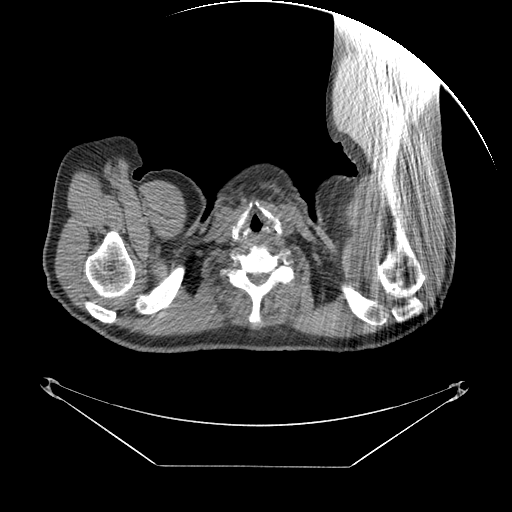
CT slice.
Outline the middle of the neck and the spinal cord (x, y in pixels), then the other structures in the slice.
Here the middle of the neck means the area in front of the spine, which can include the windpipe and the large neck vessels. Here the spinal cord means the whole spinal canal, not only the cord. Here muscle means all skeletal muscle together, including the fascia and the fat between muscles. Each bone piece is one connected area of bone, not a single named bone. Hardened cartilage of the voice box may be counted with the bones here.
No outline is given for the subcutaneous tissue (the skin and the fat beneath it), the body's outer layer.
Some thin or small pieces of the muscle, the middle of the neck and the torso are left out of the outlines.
The middle of the neck is outlined by 254 205; 256 206; 264 216; 273 222; 273 228; 276 233; 279 236; 282 234; 282 237; 283 238; 280 241; 275 243; 266 243; 265 244; 263 243; 260 244; 238 243; 235 241; 233 241; 236 241; 238 239; 240 229; 251 208. The spinal cord is outlined by 250 273; 251 274; 257 274; 258 273; 268 273; 269 274; 269 275; 268 276; 268 277; 267 278; 267 279; 263 283; 262 283; 261 284; 255 284; 254 283; 253 283; 249 279; 249 278; 248 277; 248 274; 249 274. The bones appear in 6 outlined pieces: piece 1: 394 179; 399 220; 426 275; 415 293; 423 309; 406 321; 399 323; 392 316; 386 323; 373 327; 351 311; 340 283; 345 282; 363 296; 388 307; 394 303; 385 293; 379 274; 379 264; 393 246; 393 218; 385 206; 385 194; piece 2: 252 244; 263 244; 272 254; 290 250; 287 259; 292 261; 290 265; 294 272; 293 279; 287 283; 279 282; 263 296; 259 325; 254 325; 248 319; 252 307; 249 295; 231 285; 226 275; 220 274; 222 268; 232 266; 232 251; 245 253 with a hole at 250 273; 251 274; 257 274; 258 273; 268 273; 269 274; 269 275; 268 276; 268 277; 267 278; 267 279; 263 283; 262 283; 261 284; 255 284; 254 283; 253 283; 249 279; 249 278; 248 277; 248 274; 249 274; piece 3: 110 230; 116 230; 121 236; 124 242; 125 248; 129 256; 132 259; 136 270; 135 279; 132 286; 123 296; 121 297; 116 297; 115 298; 106 298; 99 295; 88 281; 88 279; 84 272; 84 265; 87 257; 96 250; 101 243; 106 233; piece 4: 180 263; 185 266; 185 273; 181 284; 178 289; 178 291; 169 306; 163 308; 155 313; 152 313; 151 314; 139 314; 137 313; 133 307; 137 295; 139 294; 145 294; 149 292; 150 290; 155 287; 165 278; 175 266; piece 5: 256 200; 274 216; 279 219; 281 223; 282 233; 280 235; 277 233; 274 228; 274 222; 264 215; 257 206; 254 204; 250 208; 239 229; 237 239; 233 240; 231 235; 232 225; 237 221; 240 215; 247 208; 249 202; 252 201; 253 202; piece 6: 87 300; 94 300; 98 304; 104 307; 106 307; 109 309; 114 309; 116 311; 116 318; 115 319; 115 321; 111 324; 109 323; 103 323; 95 319; 93 317; 92 317; 87 311; 85 307; 85 305; 84 304; 85 301. The torso is outlined by 187 239; 187 276; 190 290; 222 322; 239 333; 261 331; 290 323; 313 308; 324 291; 326 270; 324 240; 383 304; 433 318; 401 339; 381 347; 359 351; 253 351; 243 349; 179 353; 135 351; 104 338; 76 319; 102 314; 145 288. The head and neck is outlined by 262 161; 271 162; 284 168; 293 179; 301 196; 308 206; 310 218; 316 230; 323 239; 325 249; 323 291; 322 295; 310 310; 290 322; 261 330; 239 332; 222 321; 191 290; 188 276; 188 239; 211 211; 216 192; 222 184; 244 166. The right arm is outlined by 115 134; 132 138; 138 146; 143 164; 134 171; 135 179; 139 179; 150 170; 175 169; 195 181; 205 195; 207 203; 201 223; 149 284; 102 313; 74 318; 50 295; 42 267; 42 250; 49 223; 55 177; 59 164; 70 147; 80 142. The left arm is outlined by 339 15; 359 21; 399 43; 441 80; 439 110; 442 149; 453 198; 456 250; 452 283; 441 310; 434 317; 383 303; 335 253; 311 218; 315 217; 314 192; 320 181; 334 173; 350 176; 357 172; 341 145; 329 137; 325 121; 333 18. The muscle is outlined by 352 19; 436 74; 431 159; 446 261; 427 310; 416 295; 427 275; 394 178; 384 194; 392 246; 378 264; 393 303; 345 281; 339 289; 367 325; 397 324; 342 339; 238 326; 153 337; 105 324; 117 311; 94 299; 83 303; 89 314; 74 306; 54 271; 56 243; 70 173; 101 154; 119 152; 136 186; 176 185; 186 238; 205 232; 238 185; 271 178; 327 249; 342 245; 371 172; 334 119 with holes at 256 200; 279 219; 284 230; 280 241; 265 245; 272 254; 290 250; 287 259; 294 272; 293 279; 279 282; 263 296; 259 325; 248 319; 249 295; 220 274; 222 268; 232 266; 232 251; 249 249; 249 243; 233 241; 231 227; 249 202 and at 110 230; 116 230; 121 236; 124 242; 125 248; 129 256; 132 259; 136 270; 135 279; 132 286; 123 296; 121 297; 116 297; 115 298; 106 298; 99 295; 88 281; 88 279; 84 272; 84 265; 87 257; 96 250; 101 243; 106 233 and at 180 263; 185 266; 185 273; 181 284; 178 289; 178 291; 169 306; 163 308; 155 313; 152 313; 151 314; 139 314; 137 313; 133 307; 137 295; 139 294; 145 294; 149 292; 150 290; 155 287; 165 278; 175 266.